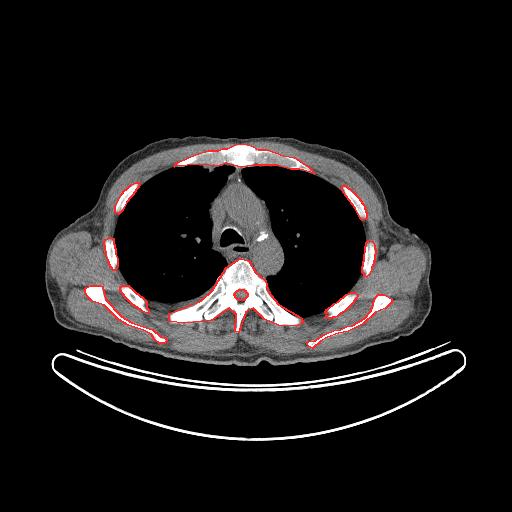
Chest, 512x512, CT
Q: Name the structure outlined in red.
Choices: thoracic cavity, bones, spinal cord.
A: red: bones.
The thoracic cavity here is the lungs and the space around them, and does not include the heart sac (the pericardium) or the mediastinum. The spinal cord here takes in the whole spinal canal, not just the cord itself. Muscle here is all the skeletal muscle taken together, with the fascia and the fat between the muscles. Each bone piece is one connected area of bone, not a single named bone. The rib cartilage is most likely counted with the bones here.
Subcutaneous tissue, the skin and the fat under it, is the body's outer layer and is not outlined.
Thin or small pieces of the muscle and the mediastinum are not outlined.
{"bones":[{"outer":[[240,258],[248,260],[255,272],[265,280],[267,290],[278,304],[300,317],[303,322],[296,326],[278,325],[264,319],[253,308],[245,312],[238,332],[235,331],[236,314],[229,308],[211,320],[184,323],[169,321],[169,313],[201,300],[212,290],[226,267]],"hole":[[239,289],[243,289],[244,290],[245,290],[245,291],[247,293],[247,296],[243,300],[239,300],[238,299],[237,299],[235,297],[235,296],[234,295],[234,294],[235,293],[235,292],[237,290],[238,290]]},[[242,143],[251,145],[258,149],[267,149],[283,155],[294,157],[309,167],[314,173],[299,169],[290,169],[277,165],[253,165],[241,167],[225,163],[218,166],[199,164],[174,166],[177,162],[195,154],[208,150],[218,150],[222,148],[227,148],[235,144]],[[90,285],[100,285],[102,286],[105,299],[121,316],[131,322],[152,329],[160,336],[164,337],[166,339],[166,341],[164,343],[159,343],[154,339],[151,334],[143,330],[128,325],[118,319],[104,305],[92,301],[88,297],[84,290],[86,287]],[[378,294],[384,294],[391,298],[391,302],[385,308],[375,312],[362,324],[348,331],[338,333],[327,337],[320,341],[312,348],[308,346],[307,344],[308,341],[315,340],[324,334],[333,330],[340,329],[346,326],[352,325],[364,318],[371,310],[375,297]],[[350,292],[354,292],[357,294],[357,296],[356,298],[353,301],[353,302],[344,311],[340,313],[337,316],[335,317],[332,317],[331,318],[326,318],[326,315],[327,314],[325,312],[326,309],[327,309],[334,303],[338,301],[346,294]],[[122,285],[128,285],[136,293],[137,293],[140,296],[141,296],[146,301],[146,307],[148,309],[148,312],[147,313],[142,311],[140,309],[139,309],[137,307],[136,307],[134,305],[133,305],[124,296],[124,295],[121,292],[121,291],[120,290],[120,287]],[[368,240],[372,241],[374,245],[374,248],[375,249],[375,254],[374,255],[374,260],[373,261],[373,264],[371,267],[371,269],[368,275],[365,277],[364,276],[364,274],[362,272],[362,266],[363,265],[363,261],[364,260],[365,246],[366,245],[366,242]],[[343,185],[345,185],[348,188],[349,188],[359,198],[359,199],[363,204],[364,206],[364,208],[365,209],[365,211],[366,212],[366,218],[365,219],[362,220],[360,218],[355,208],[343,192],[342,190],[342,186]],[[135,182],[138,182],[139,183],[139,185],[138,187],[135,190],[135,191],[126,202],[122,210],[118,214],[116,213],[115,212],[115,206],[121,194],[125,189],[126,189],[131,184]],[[109,237],[111,237],[113,238],[113,243],[114,244],[114,247],[115,248],[115,254],[117,258],[117,266],[115,270],[113,270],[109,264],[109,262],[108,261],[108,259],[106,255],[105,246],[104,245],[104,241],[105,239]]],"mediastinum":[[[232,166],[242,168],[241,174],[245,183],[264,200],[269,211],[272,231],[283,250],[284,261],[281,269],[275,275],[269,275],[265,279],[256,272],[248,259],[240,257],[227,264],[226,260],[212,248],[212,223],[208,210],[210,202],[234,170]]],"muscle":[{"outer":[[252,141],[283,143],[347,165],[381,203],[381,256],[403,240],[421,247],[426,263],[417,309],[402,328],[334,350],[293,354],[262,351],[239,339],[217,355],[134,341],[61,313],[62,296],[50,274],[53,246],[69,232],[100,234],[107,194],[117,178],[163,150],[230,142],[181,159],[122,191],[114,206],[118,216],[113,237],[103,241],[109,266],[113,271],[118,267],[127,283],[120,292],[146,314],[147,301],[169,310],[171,324],[211,321],[232,310],[236,333],[249,309],[288,327],[324,311],[326,319],[344,312],[358,296],[350,290],[361,273],[369,275],[375,260],[375,245],[366,241],[362,221],[367,218],[364,204],[345,184],[341,190],[296,157],[255,147],[245,143]],"holes":[[[90,285],[100,285],[102,286],[105,299],[121,316],[131,322],[152,329],[160,336],[164,337],[166,339],[166,341],[164,343],[159,343],[154,339],[151,334],[143,330],[128,325],[118,319],[104,305],[92,301],[88,297],[84,290],[86,287]],[[378,294],[384,294],[391,298],[391,302],[385,308],[375,312],[362,324],[348,331],[338,333],[327,337],[320,341],[312,348],[308,346],[307,344],[308,341],[315,340],[324,334],[333,330],[340,329],[346,326],[352,325],[364,318],[371,310],[375,297]]]}],"torso":[[[189,135],[293,137],[340,149],[357,158],[380,184],[391,217],[430,248],[432,304],[422,325],[407,336],[340,358],[287,365],[263,360],[256,366],[167,358],[60,325],[54,318],[44,279],[47,250],[56,233],[93,207],[106,178],[127,155],[156,140]]],"thoracic_cavity":[[[189,165],[215,167],[225,165],[233,167],[223,185],[209,202],[207,210],[211,223],[211,248],[225,260],[227,265],[215,279],[211,290],[201,299],[194,304],[171,311],[150,300],[146,300],[128,284],[118,266],[114,234],[119,214],[141,185],[172,167]],[[253,166],[277,166],[304,171],[322,178],[342,191],[362,222],[365,245],[361,272],[349,291],[323,311],[298,316],[280,305],[268,290],[266,279],[279,273],[284,265],[285,256],[283,247],[273,231],[270,211],[265,200],[246,183],[243,177],[243,168]]],"spinal_cord":[[[239,289],[243,289],[244,290],[245,290],[245,291],[247,293],[247,296],[243,300],[239,300],[238,299],[237,299],[235,297],[235,296],[234,295],[234,294],[235,293],[235,292],[237,290],[238,290]]]}